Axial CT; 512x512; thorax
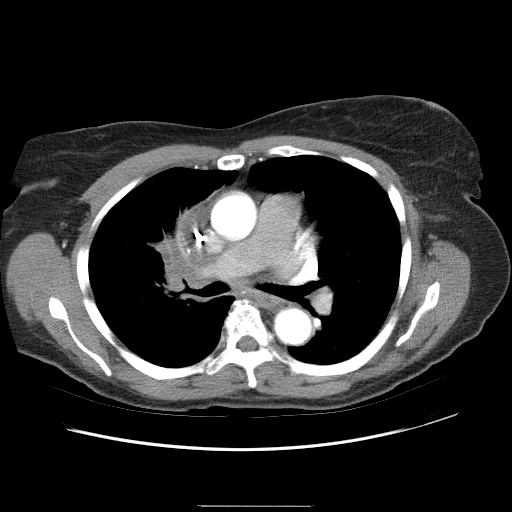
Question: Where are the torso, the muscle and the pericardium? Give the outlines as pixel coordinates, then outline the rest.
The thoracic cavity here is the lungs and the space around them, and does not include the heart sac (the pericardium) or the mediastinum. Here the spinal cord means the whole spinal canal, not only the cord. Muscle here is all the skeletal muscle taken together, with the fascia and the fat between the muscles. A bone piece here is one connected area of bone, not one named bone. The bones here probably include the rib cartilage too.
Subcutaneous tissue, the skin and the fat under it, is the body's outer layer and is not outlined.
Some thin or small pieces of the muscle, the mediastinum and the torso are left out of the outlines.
Answer: The torso is outlined by (368, 94) (435, 100) (477, 142) (484, 177) (481, 197) (472, 200) (499, 227) (511, 262) (506, 293) (477, 336) (391, 390) (335, 411) (154, 411) (102, 396) (18, 351) (3, 297) (0, 238) (4, 210) (19, 192) (12, 177) (30, 137) (124, 120) (224, 128) (294, 105). The muscle is outlined by (268, 135) (300, 135) (336, 141) (357, 147) (381, 158) (400, 176) (401, 182) (412, 196) (412, 203) (421, 213) (423, 219) (421, 237) (432, 234) (440, 239) (449, 240) (467, 254) (470, 260) (471, 272) (470, 289) (466, 303) (449, 330) (428, 353) (389, 376) (366, 380) (343, 392) (326, 397) (274, 398) (271, 395) (264, 395) (251, 389) (231, 397) (166, 400) (146, 397) (104, 381) (81, 369) (63, 352) (34, 334) (17, 311) (9, 296) (6, 284) (6, 266) (9, 256) (15, 246) (24, 237) (36, 231) (48, 232) (55, 238) (62, 252) (67, 255) (79, 233) (79, 227) (89, 210) (87, 204) (78, 203) (75, 198) (79, 197) (108, 169) (129, 156) (160, 146) (181, 143) (210, 145) (223, 149) (232, 148) (244, 140), around holes outlined by (284, 144) (336, 160) (357, 158) (376, 170) (384, 190) (392, 183) (399, 191) (405, 213) (400, 241) (411, 240) (411, 264) (403, 295) (398, 302) (394, 297) (383, 322) (395, 310) (398, 315) (387, 340) (365, 364) (343, 374) (292, 373) (276, 359) (264, 361) (254, 368) (253, 388) (232, 362) (211, 375) (170, 379) (133, 367) (91, 320) (78, 283) (77, 253) (91, 245) (100, 209) (135, 178) (143, 182) (190, 165) (216, 168) (228, 154) (253, 162) and by (51, 296) (58, 298) (62, 302) (66, 310) (67, 316) (73, 332) (77, 338) (89, 350) (99, 355) (103, 359) (111, 371) (111, 375) (110, 376) (106, 375) (98, 363) (76, 344) (67, 329) (66, 323) (62, 319) (53, 317) (51, 315) (48, 307) (49, 298) and by (435, 281) (439, 282) (439, 295) (435, 306) (433, 308) (429, 309) (422, 314) (418, 320) (409, 338) (404, 341) (400, 345) (395, 346) (395, 342) (398, 338) (407, 330) (409, 327) (409, 325) (411, 322) (411, 320) (414, 315) (415, 311) (423, 302) (428, 286) (432, 284). The pericardium is outlined by (229, 191) (245, 191) (246, 193) (262, 193) (264, 195) (289, 192) (300, 199) (303, 207) (304, 222) (315, 247) (313, 253) (306, 258) (302, 267) (293, 277) (282, 282) (217, 281) (212, 278) (203, 268) (199, 261) (197, 253) (197, 235) (200, 224) (203, 217) (220, 196). The mediastinum appears in 2 outlined pieces: piece 1: (290, 192) (304, 195) (305, 214) (316, 241) (317, 266) (314, 277) (300, 287) (296, 298) (315, 318) (318, 329) (304, 345) (284, 349) (267, 327) (260, 309) (249, 298) (235, 298) (212, 279) (232, 283) (282, 283) (300, 271) (316, 247) (305, 222) (303, 203); piece 2: (254, 161) (256, 161) (248, 172) (250, 181) (258, 189) (272, 193) (264, 194) (245, 190) (224, 192) (209, 208) (199, 224) (196, 235) (197, 258) (210, 278) (191, 263) (185, 252) (179, 234) (179, 217) (223, 184) (231, 184) (238, 174) (236, 170) (246, 163). The thoracic cavity appears in 2 outlined pieces: piece 1: (190, 165) (208, 165) (237, 172) (231, 183) (223, 183) (214, 189) (177, 220) (180, 241) (190, 263) (234, 299) (222, 321) (214, 348) (192, 364) (168, 367) (150, 362) (131, 351) (110, 328) (93, 296) (88, 263) (95, 233) (103, 218) (118, 202) (152, 176) (171, 168); piece 2: (301, 155) (339, 160) (372, 177) (385, 190) (399, 224) (397, 288) (381, 327) (357, 353) (327, 364) (302, 361) (287, 350) (304, 346) (319, 329) (316, 318) (297, 298) (301, 287) (314, 279) (318, 266) (318, 246) (306, 214) (305, 195) (262, 190) (249, 176) (261, 156). The spinal cord is outlined by (244, 336) (249, 336) (250, 337) (251, 337) (257, 343) (257, 348) (256, 349) (255, 349) (254, 350) (248, 350) (247, 351) (243, 351) (241, 349) (240, 349) (237, 346) (237, 344) (238, 343) (238, 342) (241, 339) (241, 338) (242, 337) (243, 337). The bones appear in 9 outlined pieces: piece 1: (85, 244) (92, 296) (114, 339) (162, 367) (207, 356) (236, 298) (259, 309) (278, 346) (319, 365) (354, 356) (395, 310) (398, 319) (379, 350) (343, 374) (292, 373) (275, 359) (254, 368) (253, 388) (232, 362) (211, 375) (156, 379) (128, 363) (91, 320) (76, 272); inner edge: (244, 336) (249, 336) (250, 337) (251, 337) (257, 343) (257, 348) (256, 349) (255, 349) (254, 350) (248, 350) (247, 351) (243, 351) (241, 349) (240, 349) (237, 346) (237, 344) (238, 343) (238, 342) (241, 339) (241, 338) (242, 337) (243, 337); piece 2: (51, 296) (58, 298) (62, 302) (66, 310) (67, 316) (73, 332) (77, 338) (89, 350) (99, 355) (103, 359) (111, 371) (111, 375) (110, 376) (106, 375) (98, 363) (76, 344) (67, 329) (66, 323) (62, 319) (53, 317) (51, 315) (48, 307) (49, 298); piece 3: (435, 281) (439, 282) (439, 295) (435, 306) (433, 308) (429, 309) (422, 314) (418, 320) (409, 338) (404, 341) (400, 345) (395, 346) (395, 342) (398, 338) (407, 330) (409, 327) (409, 325) (411, 322) (411, 320) (414, 315) (415, 311) (423, 302) (428, 286) (432, 284); piece 4: (406, 236) (408, 236) (411, 240) (411, 264) (409, 269) (409, 275) (408, 276) (407, 283) (405, 287) (405, 290) (403, 293) (403, 295) (401, 299) (398, 302) (396, 298) (396, 293) (397, 292) (398, 282) (399, 281) (399, 272) (400, 271) (401, 251) (402, 250) (402, 244); piece 5: (138, 177) (141, 177) (142, 178) (141, 182) (130, 191) (129, 191) (119, 201) (118, 201) (102, 218) (96, 231) (95, 232) (91, 232) (90, 231) (90, 227) (91, 226) (91, 224) (95, 218) (96, 215) (100, 209) (104, 205) (104, 204) (122, 187) (123, 187) (133, 179); piece 6: (284, 144) (288, 144) (289, 145) (291, 145) (298, 148) (305, 149) (306, 150) (317, 151) (322, 153) (323, 155) (315, 155) (314, 154) (301, 154) (300, 155) (292, 155) (291, 156) (279, 156) (278, 155) (267, 156) (266, 155) (266, 151) (269, 148) (273, 146) (283, 145); piece 7: (389, 183) (392, 183) (397, 188) (402, 198) (402, 200) (403, 201) (403, 205) (404, 206) (404, 212) (405, 213) (405, 223) (403, 225) (400, 225) (399, 223) (399, 221) (397, 218) (396, 213) (392, 206) (392, 204) (390, 201) (390, 199) (386, 191) (387, 186); piece 8: (228, 154) (242, 154) (245, 157) (245, 162) (244, 163) (244, 164) (238, 169) (233, 169) (232, 170) (223, 170) (222, 169) (219, 169) (218, 168) (217, 168) (217, 167) (216, 166) (216, 162) (217, 161) (218, 158) (219, 158) (221, 156) (223, 156) (224, 155) (227, 155); piece 9: (342, 155) (343, 156) (350, 156) (354, 158) (357, 158) (369, 164) (372, 167) (373, 167) (378, 173) (378, 177) (377, 179) (375, 179) (372, 176) (371, 176) (366, 172) (346, 162) (344, 162) (340, 160) (339, 158) (340, 156).